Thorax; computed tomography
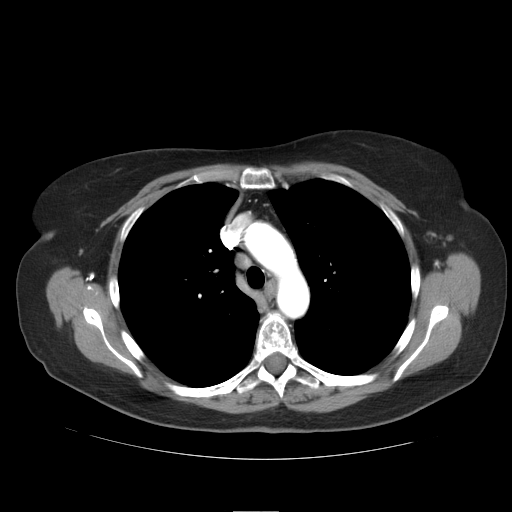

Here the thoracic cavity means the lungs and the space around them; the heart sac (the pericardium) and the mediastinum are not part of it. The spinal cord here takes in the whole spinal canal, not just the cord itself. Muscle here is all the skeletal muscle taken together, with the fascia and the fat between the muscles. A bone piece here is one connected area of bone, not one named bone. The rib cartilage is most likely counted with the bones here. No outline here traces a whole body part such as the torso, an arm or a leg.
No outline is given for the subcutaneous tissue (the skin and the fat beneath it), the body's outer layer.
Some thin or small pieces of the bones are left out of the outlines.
Outlines:
mediastinum: (241, 188) (267, 190) (270, 202) (292, 243) (297, 263) (308, 285) (310, 294) (309, 306) (305, 315) (294, 322) (293, 331) (276, 310) (269, 310) (260, 316) (255, 301) (240, 289) (236, 283) (236, 267) (233, 261) (234, 252) (222, 243) (219, 232) (225, 216) (236, 201)
thoracic cavity 1: (206, 182) (234, 183) (240, 188) (235, 201) (224, 216) (218, 235) (221, 243) (233, 252) (235, 283) (254, 301) (259, 318) (254, 348) (248, 363) (221, 382) (193, 387) (181, 384) (164, 373) (147, 357) (131, 335) (120, 308) (118, 270) (123, 244) (143, 212) (171, 190)
thoracic cavity 2: (311, 178) (344, 185) (377, 206) (395, 228) (407, 255) (411, 294) (408, 321) (389, 353) (365, 372) (345, 375) (326, 371) (303, 358) (293, 338) (295, 322) (303, 318) (309, 309) (310, 288) (298, 263) (293, 243) (271, 202) (268, 190) (275, 189) (281, 184) (290, 185)
spinal cord: (276, 352) (278, 353) (280, 353) (282, 355) (283, 355) (286, 359) (286, 365) (284, 369) (279, 374) (277, 375) (275, 375) (271, 373) (267, 369) (266, 367) (266, 365) (265, 364) (265, 360) (267, 358) (267, 357) (268, 357) (273, 353) (275, 353)
muscle: (303, 160) (330, 162) (354, 169) (378, 185) (388, 190) (408, 208) (414, 210) (418, 216) (410, 213) (399, 214) (412, 236) (417, 250) (419, 262) (422, 268) (426, 264) (438, 260) (440, 258) (446, 257) (450, 252) (454, 251) (464, 251) (471, 255) (477, 262) (481, 274) (481, 288) (477, 306) (473, 316) (468, 318) (464, 326) (461, 339) (457, 347) (447, 358) (421, 370) (418, 373) (406, 377) (393, 387) (383, 391) (373, 393) (370, 396) (355, 403) (333, 411) (323, 413) (300, 412) (289, 409) (283, 404) (280, 404) (275, 407) (261, 411) (232, 414) (193, 404) (179, 402) (149, 391) (141, 387) (133, 377) (125, 373) (121, 373) (103, 364) (90, 361) (78, 350) (74, 342) (69, 338) (66, 333) (62, 330) (57, 329) (55, 320) (48, 305) (45, 292) (46, 284) (51, 274) (56, 269) (68, 265) (72, 268) (80, 270) (81, 272) (94, 273) (96, 275) (105, 275) (107, 272) (109, 255) (112, 245) (122, 220) (120, 219) (114, 223) (110, 222) (98, 230) (97, 229) (104, 219) (133, 197) (148, 182) (159, 176) (174, 171) (216, 163) (239, 163) (260, 166) (264, 164) (287, 164), around holes outlined by (246, 166) (267, 168) (280, 186) (317, 178) (321, 171) (338, 174) (401, 221) (408, 263) (417, 263) (420, 270) (418, 294) (407, 316) (415, 318) (415, 326) (395, 357) (390, 351) (365, 372) (378, 373) (372, 381) (353, 386) (321, 382) (312, 388) (290, 379) (281, 398) (265, 381) (242, 393) (181, 396) (165, 385) (177, 381) (126, 347) (120, 331) (130, 331) (108, 290) (109, 278) (118, 275) (126, 218) (194, 174) (230, 167) (239, 173) and by (438, 304) (446, 305) (448, 307) (448, 313) (446, 317) (437, 322) (433, 326) (431, 329) (428, 340) (425, 345) (419, 353) (404, 369) (400, 377) (396, 381) (393, 382) (392, 378) (398, 367) (410, 356) (423, 341) (429, 323) (429, 318) (431, 310) (435, 305) and by (84, 307) (92, 308) (99, 314) (101, 318) (101, 322) (103, 326) (105, 336) (110, 345) (122, 356) (132, 361) (141, 371) (143, 375) (142, 377) (138, 377) (127, 364) (119, 359) (107, 347) (103, 340) (100, 330) (96, 326) (90, 324) (86, 321) (83, 315) (83, 308)
bones 1: (269, 311) (279, 313) (289, 325) (298, 353) (307, 362) (337, 375) (377, 372) (375, 379) (353, 386) (321, 382) (317, 388) (290, 379) (281, 398) (265, 381) (242, 393) (233, 389) (209, 397) (181, 396) (165, 385) (170, 382) (201, 388) (235, 375) (251, 360) (259, 319) with a hole at (276, 352) (278, 353) (280, 353) (282, 355) (283, 355) (286, 359) (286, 365) (284, 369) (279, 374) (277, 375) (275, 375) (271, 373) (267, 369) (266, 367) (266, 365) (265, 364) (265, 360) (267, 358) (267, 357) (268, 357) (273, 353) (275, 353)
bones 2: (246, 166) (253, 166) (256, 168) (260, 167) (267, 168) (271, 172) (277, 184) (276, 187) (272, 189) (242, 188) (234, 182) (223, 182) (222, 181) (206, 181) (202, 183) (192, 183) (172, 189) (179, 182) (194, 174) (205, 170) (209, 170) (215, 168) (236, 167) (239, 173)
bones 3: (438, 304) (446, 305) (448, 307) (448, 313) (446, 317) (437, 322) (433, 326) (431, 329) (428, 340) (425, 345) (419, 353) (404, 369) (400, 377) (396, 381) (393, 382) (392, 378) (398, 367) (410, 356) (423, 341) (429, 323) (429, 318) (431, 310) (435, 305)
bones 4: (84, 307) (92, 308) (99, 314) (101, 318) (101, 322) (103, 326) (105, 336) (110, 345) (122, 356) (132, 361) (141, 371) (143, 375) (142, 377) (138, 377) (127, 364) (119, 359) (107, 347) (103, 340) (100, 330) (96, 326) (90, 324) (86, 321) (83, 315) (83, 308)
bones 5: (411, 318) (415, 318) (415, 326) (414, 327) (413, 332) (411, 335) (411, 337) (409, 341) (405, 346) (405, 347) (395, 357) (392, 357) (393, 356) (393, 354) (391, 352) (391, 351) (396, 344) (396, 343) (398, 341) (400, 336) (402, 334) (404, 329) (406, 327) (409, 320)
bones 6: (122, 329) (124, 329) (130, 334) (130, 335) (133, 338) (133, 339) (136, 342) (136, 343) (145, 354) (146, 357) (145, 358) (144, 358) (142, 360) (142, 361) (140, 361) (136, 358) (135, 358) (126, 347) (126, 346) (121, 337) (121, 335) (120, 334) (120, 331)
bones 7: (141, 206) (144, 206) (146, 208) (142, 212) (142, 213) (135, 221) (135, 222) (133, 224) (132, 227) (130, 229) (124, 242) (122, 244) (120, 241) (120, 234) (121, 233) (121, 229) (122, 228) (122, 226) (123, 225) (126, 218) (132, 212) (133, 212) (137, 208) (138, 208)
bones 8: (379, 202) (382, 202) (384, 203) (394, 212) (395, 212) (395, 213) (398, 216) (403, 226) (403, 230) (404, 231) (404, 236) (403, 238) (402, 238) (400, 236) (396, 228) (393, 225) (393, 224) (390, 221) (390, 220) (386, 216) (386, 215) (383, 212) (383, 211) (378, 206)
bones 9: (112, 275) (116, 275) (117, 276) (117, 282) (118, 283) (118, 288) (119, 289) (119, 309) (116, 309) (115, 308) (115, 307) (113, 305) (113, 304) (112, 303) (112, 301) (111, 300) (111, 298) (109, 295) (109, 291) (108, 290) (108, 280) (109, 279) (109, 278)
bones 10: (413, 263) (417, 263) (418, 264) (418, 265) (419, 266) (419, 269) (420, 270) (420, 281) (419, 282) (419, 290) (418, 291) (418, 294) (417, 295) (417, 297) (415, 299) (413, 299) (412, 298) (412, 294) (411, 293) (411, 265)
bones 11: (321, 171) (325, 171) (326, 172) (332, 172) (333, 173) (338, 174) (346, 178) (354, 186) (355, 189) (351, 188) (344, 184) (342, 184) (341, 183) (339, 183) (338, 182) (336, 182) (332, 180) (328, 180) (327, 179) (324, 179) (323, 178) (318, 177) (317, 176) (317, 173)